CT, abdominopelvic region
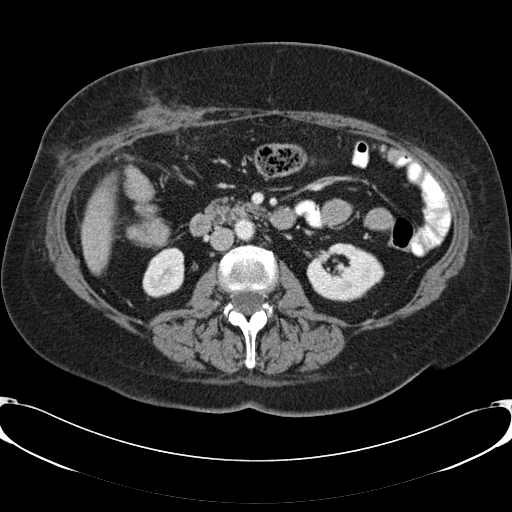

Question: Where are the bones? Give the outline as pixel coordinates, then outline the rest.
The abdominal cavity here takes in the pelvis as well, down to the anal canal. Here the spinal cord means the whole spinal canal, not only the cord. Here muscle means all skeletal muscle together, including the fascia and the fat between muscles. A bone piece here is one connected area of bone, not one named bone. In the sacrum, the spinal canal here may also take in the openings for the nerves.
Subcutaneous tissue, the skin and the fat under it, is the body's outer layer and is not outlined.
Answer: {"bones":[{"outer":[[249,244],[272,251],[278,267],[277,281],[267,297],[273,306],[273,314],[256,334],[256,363],[253,368],[248,368],[244,363],[246,347],[242,331],[238,326],[231,324],[223,314],[223,308],[230,296],[220,284],[217,272],[218,263],[225,253],[234,247]],"hole":[[239,291],[250,291],[251,292],[258,292],[260,294],[261,294],[264,300],[261,304],[260,306],[260,308],[254,311],[250,315],[245,315],[242,312],[237,310],[234,307],[234,305],[232,302],[232,297],[233,296],[233,294],[235,292],[238,292]]}],"spinal_cord":[[[239,291],[250,291],[251,292],[258,292],[260,294],[261,294],[264,300],[261,304],[260,306],[260,308],[254,311],[250,315],[245,315],[242,312],[237,310],[234,307],[234,305],[232,302],[232,297],[233,296],[233,294],[235,292],[238,292]]],"muscle":[[[227,106],[312,110],[352,116],[394,132],[444,163],[462,190],[471,230],[464,264],[447,289],[431,305],[391,325],[351,339],[319,370],[271,375],[253,369],[257,363],[257,334],[274,314],[268,297],[279,277],[277,259],[282,260],[299,280],[316,312],[352,324],[384,316],[405,305],[426,271],[445,254],[453,235],[446,190],[422,161],[403,148],[347,129],[270,114],[156,134],[122,147],[89,169],[73,191],[65,214],[66,238],[86,281],[109,304],[146,322],[165,310],[186,304],[199,278],[217,262],[218,282],[229,296],[222,314],[243,335],[243,363],[247,368],[227,374],[185,372],[83,302],[55,272],[44,242],[53,193],[67,169],[97,139],[119,129],[172,114]]],"abdominal_cavity":[[[270,115],[347,130],[403,149],[433,173],[447,194],[452,235],[410,299],[389,313],[352,323],[318,312],[287,264],[272,250],[249,243],[232,247],[214,261],[198,278],[186,303],[146,321],[98,294],[66,234],[68,206],[90,169],[116,151],[156,135]]],"torso":[[[255,41],[327,44],[385,59],[437,86],[471,117],[493,153],[511,231],[511,289],[498,325],[477,349],[447,368],[428,369],[370,404],[308,417],[252,408],[207,413],[160,407],[45,360],[9,318],[0,266],[47,124],[78,90],[121,67],[190,49]]]}